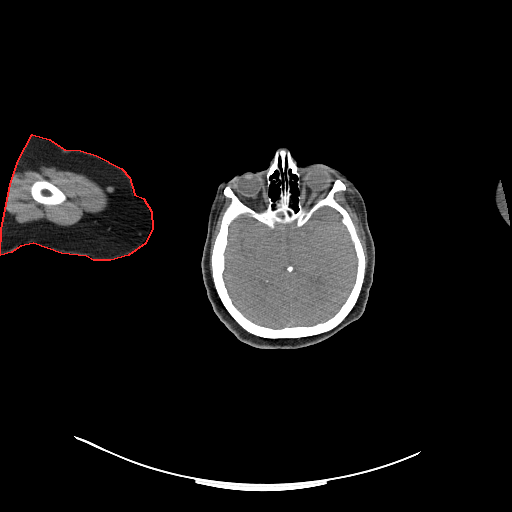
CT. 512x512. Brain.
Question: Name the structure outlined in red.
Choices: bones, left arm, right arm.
Answer: red: right arm.
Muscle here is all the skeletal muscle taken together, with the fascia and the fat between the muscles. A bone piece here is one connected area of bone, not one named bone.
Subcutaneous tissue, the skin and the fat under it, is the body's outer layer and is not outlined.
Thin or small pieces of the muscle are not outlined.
Outlines:
right arm: [[32,134],[49,139],[64,149],[80,150],[96,155],[121,168],[129,177],[134,194],[143,198],[151,211],[152,228],[145,243],[128,255],[110,260],[93,260],[86,256],[61,253],[33,243],[20,246],[11,252],[0,255],[1,229],[10,184],[18,160]]
left arm: [[499,180],[500,181],[501,187],[504,194],[504,198],[505,199],[505,203],[506,204],[506,209],[507,210],[507,214],[508,215],[508,221],[507,223],[507,222],[505,221],[500,215],[496,207],[495,201],[494,200],[495,189],[497,185],[497,182]]
brain: [[325,206],[332,208],[341,216],[340,221],[349,234],[356,256],[355,278],[347,297],[332,316],[311,325],[274,328],[252,321],[234,304],[223,276],[230,224],[239,216],[246,215],[272,230],[276,227],[276,224],[294,223],[297,228],[300,228],[317,210]]
bones 1: [[278,148],[289,150],[299,168],[301,191],[311,204],[325,196],[336,179],[344,183],[345,190],[336,191],[333,197],[349,214],[366,259],[360,293],[344,319],[328,331],[298,338],[266,338],[245,330],[220,300],[210,260],[222,217],[231,202],[223,193],[227,186],[241,201],[259,212],[266,207],[266,196],[274,202],[279,198],[279,185],[284,181],[285,174],[282,180],[276,182],[273,181],[278,176],[275,170],[268,187],[266,183],[267,170]] with holes at [[325,206],[332,208],[341,216],[340,221],[349,234],[356,256],[355,278],[347,297],[332,316],[311,325],[274,328],[252,321],[234,304],[223,276],[230,224],[239,216],[246,215],[272,230],[276,227],[276,224],[294,223],[297,228],[300,228],[317,210]] and at [[291,174],[293,174],[297,177],[297,179],[296,180],[296,187],[299,190],[299,193],[297,196],[297,198],[298,199],[298,201],[297,202],[298,209],[296,211],[295,211],[294,208],[292,206],[292,201],[291,200],[291,187],[290,186],[290,182],[291,181]]
bones 2: [[43,179],[52,183],[58,188],[59,188],[65,194],[66,196],[66,199],[60,204],[56,204],[55,205],[47,205],[46,204],[39,203],[37,201],[36,201],[32,197],[32,195],[30,191],[30,187],[34,182],[36,181],[39,181]]
muscle 1: [[40,166],[55,166],[58,169],[85,174],[103,186],[104,191],[110,201],[109,207],[106,211],[83,219],[71,226],[60,226],[44,219],[26,224],[17,223],[6,207],[8,193],[12,185],[12,181],[16,174],[25,168],[37,170]], around a hole outlined by [[43,179],[52,183],[58,188],[59,188],[65,194],[66,196],[66,199],[60,204],[56,204],[55,205],[47,205],[46,204],[39,203],[37,201],[36,201],[32,197],[32,195],[30,191],[30,187],[34,182],[36,181],[39,181]]
muscle 2: [[344,182],[348,183],[353,189],[355,194],[355,199],[357,201],[359,211],[361,213],[361,220],[363,230],[365,234],[365,241],[367,250],[367,267],[366,271],[367,259],[364,248],[357,233],[356,226],[347,210],[334,197],[336,192],[346,190],[346,185]]
muscle 3: [[221,195],[224,195],[229,198],[230,199],[230,202],[223,212],[223,214],[221,217],[219,229],[215,236],[214,242],[211,249],[210,259],[210,247],[211,246],[212,229],[214,225],[214,220],[216,218],[216,214],[218,212],[218,206],[220,203],[220,196]]
head: [[278,148],[289,150],[299,168],[314,163],[323,164],[336,169],[355,185],[366,206],[375,248],[375,263],[365,309],[358,319],[315,344],[299,348],[271,349],[254,347],[239,340],[219,319],[206,293],[201,260],[208,215],[218,186],[237,174],[267,169]] with holes at [[275,171],[277,172],[277,176],[274,177],[272,179],[273,182],[276,183],[282,181],[284,178],[283,174],[284,174],[284,179],[283,181],[278,185],[279,188],[279,194],[278,195],[278,198],[274,201],[268,195],[268,188],[272,181],[271,175],[272,175]] and at [[291,174],[293,174],[297,177],[297,179],[296,180],[296,187],[299,190],[299,193],[297,196],[297,198],[298,199],[298,201],[297,202],[298,209],[296,211],[295,211],[294,208],[292,206],[292,201],[291,200],[291,187],[290,186],[290,182],[291,181]]